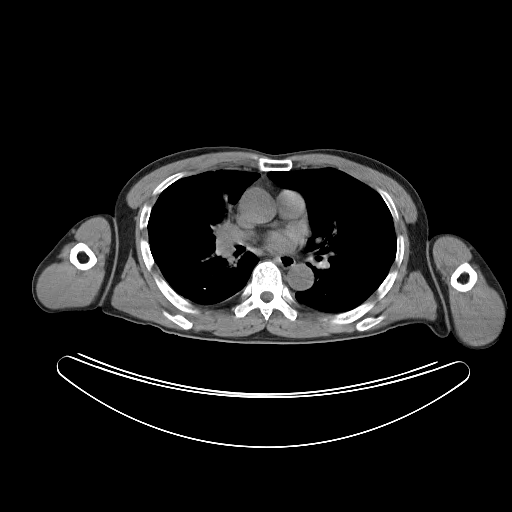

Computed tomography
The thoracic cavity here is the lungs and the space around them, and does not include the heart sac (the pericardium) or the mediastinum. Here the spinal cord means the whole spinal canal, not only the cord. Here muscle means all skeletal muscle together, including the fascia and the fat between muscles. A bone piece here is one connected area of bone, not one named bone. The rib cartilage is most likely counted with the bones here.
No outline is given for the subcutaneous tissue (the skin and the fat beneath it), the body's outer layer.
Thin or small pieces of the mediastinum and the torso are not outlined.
The spinal cord is outlined by 263,292 270,292 272,294 272,298 269,301 264,301 261,298 261,297 260,296 261,295 261,294. The muscle appears in 4 outlined pieces: piece 1: 224,151 264,156 251,155 256,167 233,165 189,175 184,170 175,172 152,190 153,196 158,195 154,203 145,202 141,208 138,225 141,230 146,229 147,239 139,240 140,253 149,272 155,264 158,267 162,276 152,276 160,292 177,309 194,315 200,311 193,303 209,306 238,299 231,307 236,318 258,309 267,321 273,310 278,310 293,322 304,306 331,313 321,318 331,326 356,321 356,331 296,338 263,329 244,336 220,336 191,330 193,323 180,313 161,311 182,329 176,329 133,316 111,304 129,249 135,246 138,209 126,201 129,190 161,166; piece 2: 302,154 329,154 359,163 392,178 409,194 417,219 406,224 410,250 407,270 420,271 432,289 438,303 434,320 405,318 370,329 386,316 382,313 363,317 375,305 367,299 373,293 378,300 386,295 398,275 398,270 391,267 394,262 399,267 404,257 404,236 396,234 394,225 400,218 399,212 387,191 380,187 374,189 338,168 293,168 288,157; piece 3: 441,236 455,237 461,240 469,248 472,259 479,266 487,283 497,292 501,299 503,309 496,334 491,341 485,344 470,345 464,342 458,336 453,327 449,312 446,288 442,284 440,275 435,269 432,257 433,244 with a hole at 465,261 466,262 468,262 475,270 477,274 477,279 475,283 471,288 471,289 467,291 462,292 461,291 458,291 451,285 451,283 450,282 450,279 451,278 451,275 453,271 456,268 456,267 459,264; piece 4: 94,217 102,217 106,219 112,232 110,255 107,258 105,265 105,279 100,288 97,299 92,303 84,306 62,308 50,308 45,306 39,300 36,292 38,277 41,272 53,262 57,253 66,240 72,236 85,221; inner edge: 78,242 83,242 85,243 93,251 97,259 95,264 93,266 92,266 90,268 86,270 81,270 80,269 78,269 70,261 69,259 69,254 70,253 70,250 71,248 76,243. The bones appear in 13 outlined pieces: piece 1: 266,260 272,261 277,266 281,273 282,282 300,305 298,314 293,321 287,318 278,309 273,309 267,320 265,320 258,308 250,310 243,317 236,317 232,310 232,307 239,300 242,290 250,280 254,267 259,262 with a hole at 263,292 270,292 272,294 272,298 269,301 264,301 261,298 261,297 260,296 261,295 261,294; piece 2: 367,300 373,301 374,305 362,317 363,318 376,317 382,314 385,316 381,321 367,330 358,331 356,329 357,322 356,320 345,324 335,324 334,325 331,325 327,321 322,320 322,318 326,314 339,313 351,310; piece 3: 465,261 466,262 468,262 475,270 477,274 477,279 475,283 471,288 471,289 467,291 462,292 461,291 458,291 451,285 451,283 450,282 450,279 451,278 451,275 453,271 456,268 456,267 459,264; piece 4: 154,274 157,274 159,276 162,277 166,281 170,287 176,293 191,302 192,304 198,309 199,312 196,314 194,314 193,313 189,313 188,312 184,312 173,305 165,297 165,296 161,292 157,286 153,276; piece 5: 78,242 83,242 85,243 93,251 97,259 95,264 93,266 92,266 90,268 86,270 81,270 80,269 78,269 70,261 69,259 69,254 70,253 70,250 71,248 76,243; piece 6: 252,155 256,155 258,157 266,157 267,158 270,158 271,159 284,159 285,158 289,158 291,160 291,161 292,162 292,168 290,170 270,170 269,171 262,171 261,170 258,169 258,168 257,167 257,161 252,157; piece 7: 395,269 397,270 397,275 393,282 393,284 391,286 389,290 385,294 385,295 382,298 380,299 378,299 377,297 377,294 375,292 377,288 386,277 386,276 388,274 390,270 394,270; piece 8: 142,238 144,238 148,241 148,243 149,244 149,248 150,249 150,251 151,252 152,257 154,260 154,264 150,271 149,271 147,269 145,265 145,263 143,260 143,257 141,253 141,247 140,246 140,240; piece 9: 182,171 186,172 187,173 187,175 183,176 179,178 177,180 174,181 171,184 170,184 167,187 166,187 159,194 157,194 156,195 153,195 152,194 153,190 164,179 175,173 177,173 178,172 181,172; piece 10: 163,310 168,312 172,315 175,315 176,314 180,314 182,315 188,320 189,320 192,323 192,327 190,329 188,329 187,330 185,329 183,329 177,324 176,324 171,320 168,319 163,314 162,312; piece 11: 377,188 380,188 384,190 386,192 387,192 388,194 391,197 395,205 395,207 398,212 398,216 399,218 397,221 394,221 392,217 392,215 387,205 385,203 382,197 376,190; piece 12: 399,234 403,236 403,242 404,243 404,250 403,251 403,257 402,258 401,263 399,266 397,266 396,263 394,261 395,260 395,256 396,255 396,248 397,247 397,242 396,241 396,239 397,238 397,235; piece 13: 145,203 147,203 152,206 151,207 151,210 149,214 149,217 148,218 148,221 147,222 147,226 146,228 143,228 141,229 139,225 139,220 140,219 140,216 141,215 141,211 142,210 142,208. The thoracic cavity appears in 2 outlined pieces: piece 1: 322,167 332,167 345,172 375,190 391,215 396,235 393,263 375,291 355,307 332,313 301,305 294,296 296,292 309,290 317,280 307,264 307,241 312,235 308,211 306,202 298,191 282,187 268,175 270,171; piece 2: 233,166 252,167 259,170 259,176 244,190 237,202 229,206 227,212 227,219 233,226 239,243 247,251 254,254 258,261 238,298 209,305 194,303 171,287 155,263 147,231 150,214 158,196 179,179 209,170. The left arm is outlined by 440,232 455,233 467,239 475,247 485,260 498,280 505,294 507,301 507,309 503,326 498,340 492,346 488,348 481,350 468,349 460,345 454,337 451,334 449,334 445,309 439,293 428,251 428,244 430,237. The pericardium is outlined by 260,183 267,183 280,189 293,190 299,193 303,198 307,212 309,233 306,236 301,247 296,251 289,253 270,253 257,245 250,243 238,234 238,230 236,229 236,220 234,216 236,214 240,198 246,190. The mediastinum appears in 2 outlined pieces: piece 1: 309,222 311,235 306,241 308,253 306,264 311,268 316,280 309,289 296,291 293,295 283,282 282,273 278,266 269,259 259,261 254,253 247,250 240,243 238,235 270,254 289,254 296,252 304,244 310,233; piece 2: 260,171 262,172 267,172 267,175 268,177 276,184 277,184 279,186 283,188 280,188 277,186 274,186 267,182 260,182 259,183 256,183 252,185 247,189 246,189 260,176 259,174 259,172. The torso is outlined by 222,145 271,154 313,148 343,149 379,160 405,177 427,214 427,251 448,335 439,338 426,326 414,324 372,337 331,343 240,344 178,337 104,314 99,308 113,280 118,254 112,214 123,185 160,157 190,148. The right arm is outlined by 97,213 108,213 111,215 115,232 116,250 117,251 114,274 102,303 98,308 93,309 90,311 62,312 58,314 48,313 43,311 35,303 32,297 32,292 31,291 31,281 36,267 56,243 76,222 86,216.